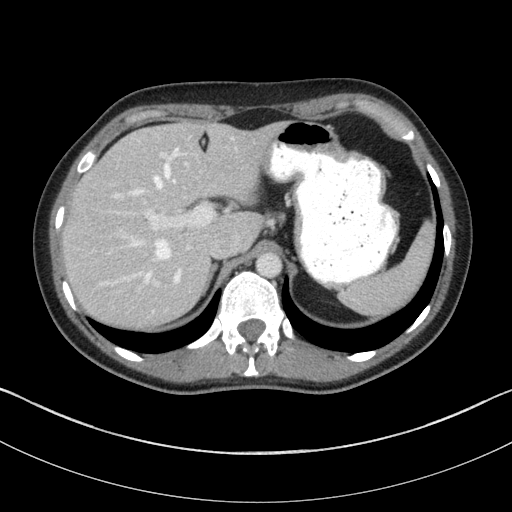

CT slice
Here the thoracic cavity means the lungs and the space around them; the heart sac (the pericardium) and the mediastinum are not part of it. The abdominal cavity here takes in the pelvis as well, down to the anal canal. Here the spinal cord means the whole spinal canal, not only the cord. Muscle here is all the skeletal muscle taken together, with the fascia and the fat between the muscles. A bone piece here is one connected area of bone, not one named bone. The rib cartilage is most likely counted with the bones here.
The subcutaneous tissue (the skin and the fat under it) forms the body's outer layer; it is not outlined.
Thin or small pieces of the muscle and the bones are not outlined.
{"abdominal_cavity":[[[147,333],[191,321],[235,269],[264,250],[286,260],[292,301],[318,323],[359,328],[404,307],[423,283],[435,245],[433,198],[417,148],[380,118],[353,109],[313,117],[254,109],[222,120],[133,125],[81,174],[66,206],[61,247],[66,279],[84,315]]],"muscle":[{"outer":[[175,383],[243,376],[248,355],[240,346],[229,355],[220,335],[197,349],[181,347],[163,353],[138,353],[144,360],[132,362],[119,356],[112,348],[114,344],[97,332],[78,308],[74,311],[69,306],[61,289],[65,274],[60,229],[55,230],[54,217],[57,208],[67,204],[77,182],[80,175],[75,169],[81,156],[89,149],[98,154],[133,124],[160,117],[222,119],[254,108],[313,116],[355,109],[351,102],[356,98],[377,102],[398,115],[414,131],[415,138],[411,142],[422,154],[425,165],[430,162],[440,177],[438,193],[443,218],[452,233],[450,253],[443,257],[426,318],[410,333],[403,332],[378,348],[372,358],[351,362],[345,357],[349,353],[320,347],[295,331],[297,337],[294,340],[280,332],[278,349],[273,357],[265,349],[260,349],[255,355],[259,376],[333,382],[381,362],[417,336],[440,309],[451,279],[456,228],[449,187],[420,133],[401,111],[364,93],[336,93],[293,102],[246,106],[143,104],[116,115],[82,149],[71,165],[50,213],[49,249],[55,290],[67,316],[103,352],[130,368]],"holes":[[[129,124],[130,123],[133,123],[138,120],[143,119],[146,117],[149,117],[154,115],[159,115],[163,113],[163,112],[158,110],[145,110],[144,111],[140,111],[136,113],[133,113],[130,115],[128,115],[125,117],[124,119],[125,122]],[[340,106],[347,106],[348,105],[349,105],[350,104],[350,102],[349,102],[348,101],[342,101],[341,102],[340,102],[338,104],[338,105],[339,105]]]}],"thoracic_cavity":[[[350,353],[377,348],[393,339],[410,325],[430,299],[443,256],[443,219],[437,189],[428,174],[437,218],[436,245],[424,283],[404,308],[364,328],[352,330],[331,328],[312,321],[299,311],[289,297],[287,278],[284,279],[280,298],[294,329],[313,343]],[[148,353],[163,352],[183,346],[204,333],[209,327],[216,313],[221,291],[220,290],[216,291],[206,308],[199,316],[191,322],[179,328],[167,332],[157,334],[147,334],[118,330],[105,326],[87,318],[90,324],[97,331],[115,344],[136,352],[147,352]]],"bones":[{"outer":[[244,376],[259,375],[254,364],[254,355],[263,347],[273,356],[281,330],[291,339],[296,337],[281,307],[275,284],[249,270],[238,272],[227,282],[210,327],[200,337],[184,346],[188,349],[197,348],[220,334],[229,354],[233,354],[240,345],[249,355]],"hole":[[248,341],[254,341],[256,339],[256,338],[263,331],[263,330],[264,329],[264,328],[265,327],[265,325],[264,324],[264,323],[261,320],[259,320],[258,319],[250,319],[249,320],[248,320],[247,321],[245,321],[244,322],[241,322],[238,325],[238,331]]},[[409,141],[414,138],[414,133],[411,129],[404,124],[403,121],[398,116],[387,109],[382,107],[379,104],[374,102],[371,102],[367,100],[359,100],[358,99],[356,99],[352,102],[356,107],[357,110],[363,113],[367,113],[380,117],[401,139],[408,140]],[[80,174],[81,173],[82,173],[84,171],[85,171],[88,168],[89,168],[91,166],[91,165],[95,160],[97,155],[93,150],[89,150],[88,151],[87,151],[82,156],[82,157],[80,159],[80,160],[77,165],[77,168],[76,169],[77,172]],[[129,124],[130,123],[133,123],[138,120],[143,119],[146,117],[149,117],[154,115],[159,115],[163,113],[163,112],[158,110],[145,110],[144,111],[140,111],[136,113],[133,113],[130,115],[128,115],[125,117],[124,119],[125,122]],[[132,361],[142,361],[143,360],[143,358],[141,356],[140,356],[137,353],[133,351],[131,351],[130,350],[125,349],[117,345],[114,345],[113,346],[113,348],[114,350],[119,355],[122,356],[126,359],[128,359]],[[351,361],[363,361],[364,360],[366,360],[367,359],[372,357],[376,353],[376,349],[374,349],[373,350],[369,350],[368,351],[363,351],[362,352],[356,352],[355,353],[350,354],[349,355],[348,355],[346,357],[347,358],[347,359],[348,359]],[[445,257],[446,256],[447,256],[449,253],[449,249],[450,248],[450,245],[451,244],[451,233],[450,232],[450,230],[449,229],[449,227],[448,226],[448,225],[447,224],[447,223],[444,221],[444,222],[443,223],[443,242],[444,243],[444,256]],[[406,333],[408,333],[412,330],[413,330],[425,318],[425,317],[427,315],[427,314],[430,309],[430,303],[428,303],[426,305],[426,306],[422,310],[422,311],[419,314],[419,315],[416,318],[416,319],[411,324],[411,325],[405,330],[405,332]],[[74,310],[76,310],[77,308],[76,307],[76,305],[75,304],[75,302],[73,298],[73,295],[67,283],[67,281],[65,279],[64,279],[62,281],[62,289],[63,290],[63,292],[65,295],[65,297],[66,299],[68,301],[70,306]],[[437,188],[439,188],[440,187],[440,182],[439,181],[439,177],[438,176],[436,171],[434,169],[434,168],[431,165],[431,164],[430,163],[427,163],[426,164],[426,169],[427,170],[429,175],[431,177],[431,178],[432,179],[434,184],[436,186],[436,187]]],"mediastinum":[[[280,297],[281,287],[283,279],[285,276],[285,260],[276,252],[264,251],[256,254],[255,256],[251,258],[245,264],[243,264],[239,268],[235,270],[232,275],[230,276],[230,278],[238,271],[244,269],[252,270],[261,276],[265,277],[270,281],[275,283]]],"spinal_cord":[[[248,341],[254,341],[256,339],[256,338],[263,331],[263,330],[264,329],[264,328],[265,327],[265,325],[264,324],[264,323],[261,320],[259,320],[258,319],[250,319],[249,320],[248,320],[247,321],[245,321],[244,322],[241,322],[238,325],[238,331]]],"torso":[[[178,395],[240,389],[341,392],[405,364],[444,329],[459,301],[471,259],[473,228],[469,201],[443,148],[413,108],[395,92],[355,77],[200,80],[147,86],[113,102],[57,162],[40,195],[32,229],[35,275],[51,319],[78,352],[101,368],[136,384]]]}